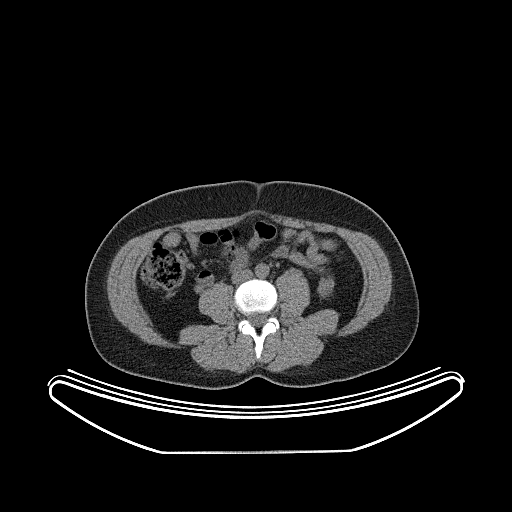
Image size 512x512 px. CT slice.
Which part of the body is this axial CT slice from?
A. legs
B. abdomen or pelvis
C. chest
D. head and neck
Answer: B. abdomen or pelvis
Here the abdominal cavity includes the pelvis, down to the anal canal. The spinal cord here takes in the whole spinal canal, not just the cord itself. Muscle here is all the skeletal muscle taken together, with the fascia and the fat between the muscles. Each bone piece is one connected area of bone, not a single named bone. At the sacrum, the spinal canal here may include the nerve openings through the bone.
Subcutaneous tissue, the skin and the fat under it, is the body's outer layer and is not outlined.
{"muscle":[{"outer":[[252,209],[260,209],[270,213],[344,227],[365,233],[377,241],[389,261],[392,274],[392,289],[390,299],[384,310],[367,326],[351,335],[343,337],[330,336],[325,343],[320,356],[304,369],[293,372],[272,372],[256,366],[242,373],[218,374],[206,371],[200,367],[192,359],[188,350],[185,348],[165,348],[141,341],[116,319],[107,297],[107,275],[114,256],[128,240],[147,231],[171,224],[195,219],[231,217],[240,215]],"hole":[[255,215],[341,237],[362,273],[355,315],[340,327],[333,308],[303,315],[308,281],[284,271],[269,313],[279,328],[264,338],[258,359],[252,336],[238,330],[234,288],[223,281],[197,300],[210,323],[184,326],[176,341],[163,337],[136,284],[154,241]]}],"bones":[{"outer":[[253,278],[267,280],[275,287],[277,301],[269,314],[275,316],[279,322],[279,328],[274,332],[269,333],[264,338],[263,347],[258,359],[256,357],[255,342],[252,336],[244,334],[238,330],[238,323],[243,316],[234,302],[234,292],[236,288],[241,283]],"hole":[[253,312],[258,312],[259,313],[267,313],[267,317],[266,318],[266,321],[261,326],[260,326],[259,327],[255,327],[253,325],[252,325],[251,324],[251,323],[249,321],[249,320],[247,318],[247,316],[250,313],[252,313]]}],"abdominal_cavity":[[[255,215],[341,237],[362,273],[355,315],[340,327],[333,308],[303,315],[310,303],[308,281],[284,271],[274,285],[253,277],[234,291],[223,281],[202,290],[197,307],[212,321],[184,326],[176,341],[163,337],[136,284],[154,241],[167,231],[216,231]]],"torso":[[[239,179],[256,182],[289,180],[327,186],[362,201],[385,220],[404,251],[419,298],[417,331],[398,359],[358,377],[311,387],[287,387],[253,377],[229,388],[202,389],[132,375],[100,357],[87,327],[84,287],[91,259],[108,231],[128,211],[160,194]]],"spinal_cord":[[[253,312],[258,312],[259,313],[267,313],[267,317],[266,318],[266,321],[261,326],[260,326],[259,327],[255,327],[253,325],[252,325],[251,324],[251,323],[249,321],[249,320],[247,318],[247,316],[250,313],[252,313]]]}